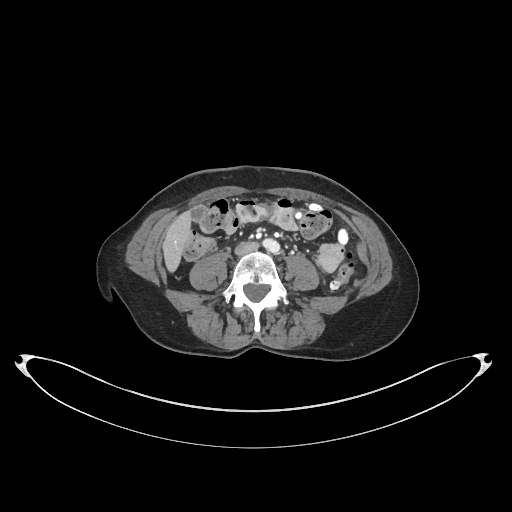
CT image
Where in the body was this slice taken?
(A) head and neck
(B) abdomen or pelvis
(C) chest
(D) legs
(B) abdomen or pelvis
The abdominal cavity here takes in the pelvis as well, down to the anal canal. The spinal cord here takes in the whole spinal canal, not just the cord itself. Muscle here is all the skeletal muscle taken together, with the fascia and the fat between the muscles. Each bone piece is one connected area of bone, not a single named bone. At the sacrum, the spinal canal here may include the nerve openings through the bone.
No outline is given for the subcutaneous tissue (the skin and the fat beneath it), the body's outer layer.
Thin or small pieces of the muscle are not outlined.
{"bones":[{"outer":[[256,333],[260,329],[260,313],[265,308],[276,307],[280,300],[285,304],[289,302],[287,291],[278,276],[274,261],[269,255],[260,251],[248,253],[238,260],[233,270],[233,279],[221,293],[225,301],[237,310],[240,310],[245,305],[252,311],[254,332]],"hole":[[255,302],[256,302],[257,301],[259,301],[266,294],[266,293],[269,289],[269,287],[267,285],[254,285],[253,284],[248,284],[244,287],[244,291],[245,292],[246,295],[249,298],[249,299],[250,299],[252,301],[254,301]]}],"abdominal_cavity":[[[309,295],[343,294],[365,271],[359,236],[318,202],[267,193],[218,196],[181,210],[169,226],[161,252],[171,288],[203,292],[189,283],[189,269],[220,250],[228,253],[228,283],[237,260],[260,250],[273,258],[282,281],[284,258],[303,253],[320,274]]],"muscle":[{"outer":[[227,351],[238,349],[257,340],[264,345],[278,349],[307,347],[322,334],[326,326],[327,318],[330,315],[361,298],[377,293],[387,285],[392,278],[392,259],[386,241],[374,221],[356,209],[310,190],[295,187],[247,188],[236,185],[213,187],[204,190],[175,205],[158,209],[149,214],[135,231],[127,245],[125,252],[126,264],[133,272],[151,282],[168,299],[180,315],[185,319],[187,326],[198,339],[207,344]],"hole":[[256,333],[265,308],[289,302],[287,255],[303,253],[316,266],[320,283],[309,295],[343,294],[364,274],[359,236],[318,202],[218,196],[181,210],[169,226],[161,249],[168,286],[203,292],[189,283],[189,269],[227,252],[221,293],[237,310],[252,311]]}],"torso":[[[328,361],[361,358],[391,344],[410,323],[419,299],[418,273],[401,240],[372,207],[334,179],[307,169],[272,165],[197,170],[156,192],[101,244],[96,280],[103,298],[113,306],[115,294],[137,328],[154,343],[175,352],[213,358],[228,359],[259,348]]],"spinal_cord":[[[255,302],[256,302],[257,301],[259,301],[266,294],[266,293],[269,289],[269,287],[267,285],[254,285],[253,284],[248,284],[244,287],[244,291],[245,292],[246,295],[249,298],[249,299],[250,299],[252,301],[254,301]]]}